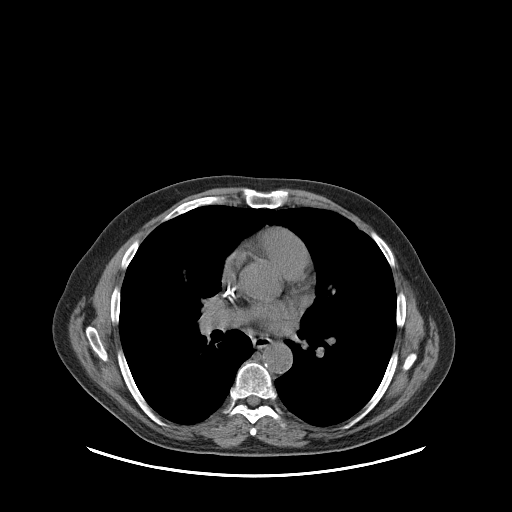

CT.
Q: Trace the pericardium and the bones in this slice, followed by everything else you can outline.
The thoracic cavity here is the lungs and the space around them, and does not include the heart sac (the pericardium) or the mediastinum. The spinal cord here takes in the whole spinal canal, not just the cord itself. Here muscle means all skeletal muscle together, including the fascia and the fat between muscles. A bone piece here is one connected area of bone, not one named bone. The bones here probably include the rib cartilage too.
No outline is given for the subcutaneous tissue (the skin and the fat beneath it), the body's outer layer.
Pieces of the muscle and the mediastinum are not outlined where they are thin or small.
A: The pericardium is outlined by [[268,224],[283,226],[300,238],[305,244],[310,254],[315,273],[313,301],[302,314],[297,326],[293,330],[292,333],[285,336],[269,334],[254,326],[243,325],[231,314],[225,305],[224,301],[218,294],[221,289],[222,273],[226,258],[245,238]]. The bones appear in 11 outlined pieces: piece 1: [[246,361],[257,362],[265,366],[268,371],[277,394],[277,402],[285,414],[286,425],[284,427],[280,426],[271,416],[265,415],[254,423],[253,426],[256,432],[251,435],[249,431],[252,425],[242,414],[229,415],[222,413],[236,374]] with a hole at [[251,395],[253,395],[254,396],[256,396],[257,397],[258,397],[261,400],[260,401],[260,403],[258,405],[257,405],[256,406],[254,406],[253,407],[252,407],[251,406],[250,406],[247,404],[247,403],[246,402],[246,399],[247,398],[247,397],[248,397]]; piece 2: [[244,187],[251,188],[257,191],[261,191],[262,192],[269,192],[272,190],[283,189],[286,190],[289,193],[289,200],[283,206],[277,207],[276,208],[268,208],[267,207],[255,208],[254,207],[251,207],[247,205],[244,202],[244,200],[241,195],[242,189]]; piece 3: [[394,351],[397,351],[397,353],[398,354],[397,364],[396,365],[394,373],[392,376],[392,378],[383,395],[374,407],[359,421],[346,429],[341,429],[340,427],[342,425],[345,424],[350,418],[355,416],[371,398],[382,380],[382,378],[388,365],[390,357]]; piece 4: [[119,349],[122,349],[123,351],[126,362],[128,365],[128,367],[133,378],[133,380],[140,393],[148,405],[153,410],[153,411],[167,424],[167,426],[159,425],[152,420],[142,410],[134,399],[126,385],[126,383],[120,370],[120,367],[117,359],[117,351]]; piece 5: [[205,196],[224,196],[226,198],[226,203],[224,204],[207,204],[206,205],[201,205],[195,208],[193,208],[184,213],[182,213],[175,217],[173,217],[168,220],[166,220],[163,222],[161,221],[167,214],[180,204],[196,198],[204,197]]; piece 6: [[87,326],[92,326],[96,329],[96,330],[98,333],[98,335],[100,338],[100,340],[101,341],[101,342],[107,353],[107,360],[106,361],[104,361],[103,360],[102,360],[92,349],[92,348],[90,345],[90,343],[86,336],[86,333],[85,332],[85,329]]; piece 7: [[371,231],[374,231],[376,233],[377,233],[385,241],[385,242],[391,250],[393,254],[393,256],[394,257],[394,262],[395,263],[395,266],[393,268],[391,268],[390,265],[388,263],[384,254],[380,249],[379,246],[376,243],[376,242],[369,235],[369,233]]; piece 8: [[116,286],[119,286],[120,287],[120,297],[119,298],[119,320],[118,321],[118,324],[114,324],[112,322],[112,321],[111,320],[111,318],[110,317],[110,301],[111,300],[111,295],[112,294],[112,292],[113,291],[113,290],[114,289],[114,288]]; piece 9: [[400,291],[402,291],[403,292],[403,293],[404,294],[404,295],[405,296],[405,320],[404,321],[404,323],[403,324],[403,326],[402,327],[397,327],[397,325],[396,324],[396,310],[397,309],[397,294]]; piece 10: [[136,239],[139,240],[140,241],[140,243],[139,244],[132,259],[130,261],[130,262],[127,266],[126,269],[125,270],[124,270],[123,269],[122,269],[120,266],[120,265],[121,264],[121,260],[122,259],[122,257],[123,256],[124,253],[128,248],[128,247]]; piece 11: [[413,352],[414,353],[415,353],[417,356],[417,357],[416,358],[416,359],[415,360],[415,361],[413,363],[413,364],[409,369],[408,369],[407,370],[403,370],[403,364],[404,363],[404,361],[405,360],[405,359],[406,358],[406,357],[410,353],[412,353]]. The muscle appears in 3 outlined pieces: piece 1: [[217,187],[243,187],[240,195],[245,204],[227,203],[224,195],[196,197],[173,208],[141,242],[136,238],[121,257],[119,266],[125,273],[121,286],[116,285],[111,292],[109,317],[118,325],[120,373],[141,410],[162,427],[168,424],[161,417],[192,425],[226,402],[220,411],[223,415],[240,414],[251,425],[250,436],[230,448],[171,438],[143,423],[89,377],[68,335],[70,315],[77,303],[132,235],[183,198]], around a hole outlined by [[87,326],[92,326],[96,329],[96,330],[98,333],[98,335],[100,338],[100,340],[101,341],[101,342],[107,353],[107,360],[106,361],[104,361],[103,360],[102,360],[92,349],[92,348],[90,345],[90,343],[86,336],[86,333],[85,332],[85,329]]; piece 2: [[388,244],[418,290],[437,327],[438,357],[428,377],[404,406],[378,422],[351,434],[301,447],[276,446],[258,439],[255,436],[257,429],[254,425],[262,417],[271,417],[282,428],[287,425],[286,414],[278,400],[290,413],[308,424],[327,427],[347,420],[339,427],[341,430],[346,430],[367,415],[384,395],[399,359],[398,351],[393,351],[397,328],[402,328],[406,320],[406,296],[402,290],[396,292],[392,272],[396,263]]; inner edge: [[413,352],[414,353],[415,353],[417,356],[417,357],[416,358],[416,359],[415,360],[415,361],[413,363],[413,364],[409,369],[408,369],[407,370],[403,370],[403,364],[404,363],[404,361],[405,360],[405,359],[406,358],[406,357],[410,353],[412,353]]; piece 3: [[281,188],[302,189],[316,194],[322,195],[358,216],[362,220],[369,224],[374,230],[371,230],[368,234],[360,229],[356,224],[349,218],[332,209],[329,209],[324,207],[317,207],[316,206],[307,206],[306,205],[284,206],[290,200],[290,193],[286,189]]. The spinal cord is outlined by [[251,395],[253,395],[254,396],[256,396],[257,397],[258,397],[261,400],[260,401],[260,403],[258,405],[257,405],[256,406],[254,406],[253,407],[252,407],[251,406],[250,406],[247,404],[247,403],[246,402],[246,399],[247,398],[247,397],[248,397]]. The mediastinum is outlined by [[218,295],[230,314],[245,327],[254,327],[269,335],[285,337],[293,333],[299,322],[298,329],[293,338],[287,338],[284,341],[292,352],[292,365],[273,382],[272,377],[265,365],[257,361],[246,360],[253,353],[251,339],[244,332],[235,328],[226,315]]. The thoracic cavity is outlined by [[225,204],[332,210],[383,254],[396,331],[381,380],[355,415],[318,426],[278,399],[274,381],[294,362],[285,341],[316,286],[306,244],[278,224],[245,237],[223,264],[217,297],[252,346],[223,405],[181,424],[141,393],[119,332],[126,270],[160,224]]. The torso is outlined by [[224,174],[308,179],[347,188],[379,206],[407,237],[451,317],[455,351],[445,378],[405,426],[354,448],[320,454],[244,457],[176,451],[157,446],[136,435],[86,392],[65,367],[52,338],[54,310],[73,268],[106,225],[124,208],[150,192],[183,180]].